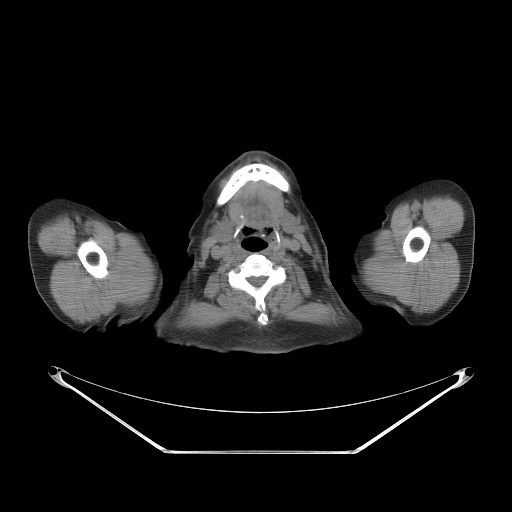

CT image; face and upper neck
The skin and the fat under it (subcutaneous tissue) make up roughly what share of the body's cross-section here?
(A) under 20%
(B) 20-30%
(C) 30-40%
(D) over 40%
(C) 30-40%
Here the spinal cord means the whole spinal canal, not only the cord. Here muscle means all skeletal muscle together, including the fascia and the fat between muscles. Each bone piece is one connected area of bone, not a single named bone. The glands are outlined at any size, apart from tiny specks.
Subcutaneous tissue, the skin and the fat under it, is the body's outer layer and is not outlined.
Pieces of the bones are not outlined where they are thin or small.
head and neck: [[256,148],[282,159],[297,175],[304,200],[318,224],[327,248],[330,279],[347,307],[363,323],[363,336],[285,353],[220,353],[165,343],[154,337],[148,322],[171,301],[182,276],[192,262],[186,253],[187,234],[199,212],[204,188],[229,162],[243,152]]; inner edge: [[244,227],[248,227],[251,229],[273,228],[273,230],[265,239],[265,241],[266,242],[266,245],[265,247],[261,249],[259,249],[257,251],[252,251],[249,249],[246,249],[242,246],[242,241],[244,239],[244,237],[242,235],[243,234],[243,231],[242,229]]
right arm: [[55,196],[64,196],[88,204],[112,220],[141,230],[156,249],[163,267],[164,288],[159,309],[147,322],[115,328],[115,320],[113,319],[102,333],[98,333],[93,328],[80,333],[60,322],[49,311],[35,288],[28,257],[27,224],[32,210],[42,201]]
left arm: [[430,178],[453,180],[469,195],[475,212],[474,259],[470,285],[459,304],[435,324],[416,327],[392,308],[378,308],[368,304],[354,287],[349,276],[349,269],[354,264],[352,252],[356,241],[363,232],[381,224],[385,217],[384,207],[390,199],[406,188]]
bones 1: [[253,252],[258,252],[271,261],[281,265],[284,267],[286,274],[284,282],[273,286],[264,297],[264,312],[268,318],[267,324],[265,325],[257,321],[259,312],[255,307],[254,298],[243,290],[233,288],[229,284],[227,276],[227,272],[231,268],[241,263]]; inner edge: [[252,276],[253,277],[259,277],[260,276],[265,276],[266,277],[266,279],[265,280],[265,281],[260,286],[259,286],[258,287],[256,287],[255,286],[254,286],[253,285],[252,285],[247,280],[247,278],[248,277],[251,277]]
bones 2: [[251,163],[264,163],[269,166],[275,168],[289,183],[290,185],[290,190],[289,192],[285,192],[274,185],[261,179],[256,181],[250,180],[240,187],[224,204],[218,206],[216,204],[216,199],[222,188],[231,176],[232,173],[235,170],[240,168],[242,166]]
bones 3: [[89,238],[91,238],[96,242],[96,243],[104,251],[107,257],[107,259],[108,260],[108,265],[107,266],[108,274],[104,278],[100,279],[99,278],[95,278],[93,276],[92,276],[85,269],[77,255],[77,249],[80,243]]
bones 4: [[417,225],[423,226],[426,229],[430,236],[430,242],[429,243],[429,246],[427,249],[427,251],[423,258],[418,262],[412,263],[411,262],[407,262],[405,260],[405,258],[402,252],[402,246],[403,245],[403,241],[408,232],[414,226],[416,226]]
bones 5: [[242,222],[243,222],[243,227],[241,229],[241,230],[238,233],[238,234],[236,236],[236,237],[235,238],[234,238],[233,237],[233,235],[234,234],[234,233],[235,232],[235,230],[236,229],[236,228],[237,227],[237,226],[238,226]]
muscle 1: [[253,154],[265,156],[284,169],[291,177],[296,201],[309,225],[318,246],[323,271],[330,288],[333,304],[337,306],[348,319],[347,322],[338,325],[320,325],[307,322],[284,320],[259,328],[245,322],[236,321],[226,323],[214,328],[206,329],[181,329],[168,323],[164,323],[167,318],[168,321],[172,321],[178,311],[185,304],[190,277],[194,267],[194,254],[199,249],[202,228],[212,208],[212,198],[217,183],[241,160]]; inner edges: [[242,222],[244,227],[273,228],[279,234],[278,244],[273,230],[265,239],[265,247],[257,251],[284,267],[286,274],[284,282],[273,286],[264,297],[268,318],[265,325],[257,321],[254,298],[228,281],[227,272],[253,252],[242,246],[242,230],[233,237]], then [[251,163],[264,163],[269,166],[275,168],[289,183],[290,185],[290,190],[289,192],[285,192],[274,185],[261,179],[256,181],[250,180],[240,187],[224,204],[218,206],[216,204],[216,199],[222,188],[231,176],[232,173],[235,170],[240,168],[242,166]], then [[223,219],[225,219],[227,220],[230,223],[230,230],[229,231],[229,234],[230,235],[230,237],[227,240],[225,241],[223,241],[219,239],[217,237],[216,237],[212,233],[211,231],[213,226],[216,223],[216,222],[219,220],[222,220]], then [[285,211],[288,211],[289,212],[291,212],[293,214],[294,214],[298,218],[298,223],[297,224],[296,227],[292,231],[291,231],[290,232],[287,232],[286,231],[285,231],[283,229],[283,228],[282,227],[282,225],[281,224],[281,220],[282,219],[282,216]]
muscle 2: [[64,210],[77,210],[86,215],[98,217],[116,232],[130,233],[140,240],[157,269],[156,284],[147,301],[133,308],[118,305],[110,314],[102,316],[99,321],[83,324],[76,323],[61,311],[49,289],[50,260],[41,251],[37,243],[36,235],[41,223]], around a hole outlined by [[89,238],[91,238],[96,242],[96,243],[104,251],[107,257],[107,259],[108,260],[108,265],[107,266],[108,274],[104,278],[100,279],[99,278],[95,278],[93,276],[92,276],[85,269],[77,255],[77,249],[80,243]]
muscle 3: [[434,194],[450,194],[462,204],[465,212],[463,226],[453,242],[460,261],[460,279],[456,290],[443,306],[433,313],[419,314],[393,296],[370,290],[361,281],[360,265],[370,255],[370,241],[375,233],[389,227],[392,211],[398,203],[407,199]], around a hole outlined by [[417,225],[423,226],[426,229],[430,236],[430,242],[429,243],[429,246],[427,249],[427,251],[423,258],[418,262],[412,263],[411,262],[407,262],[405,260],[405,258],[402,252],[402,246],[403,245],[403,241],[408,232],[414,226],[416,226]]
submandibular glands 1: [[223,219],[225,219],[227,220],[230,223],[230,230],[229,231],[229,234],[230,235],[230,237],[227,240],[225,241],[223,241],[219,239],[217,237],[216,237],[212,233],[211,231],[213,226],[216,223],[216,222],[219,220],[222,220]]
submandibular glands 2: [[285,211],[288,211],[289,212],[291,212],[293,214],[294,214],[298,218],[298,223],[297,224],[296,227],[292,231],[291,231],[290,232],[287,232],[286,231],[285,231],[283,229],[283,228],[282,227],[282,225],[281,224],[281,220],[282,219],[282,216]]
spinal cord: [[252,276],[253,277],[259,277],[260,276],[265,276],[266,277],[266,279],[265,280],[265,281],[260,286],[259,286],[258,287],[256,287],[255,286],[254,286],[253,285],[252,285],[247,280],[247,278],[248,277],[251,277]]